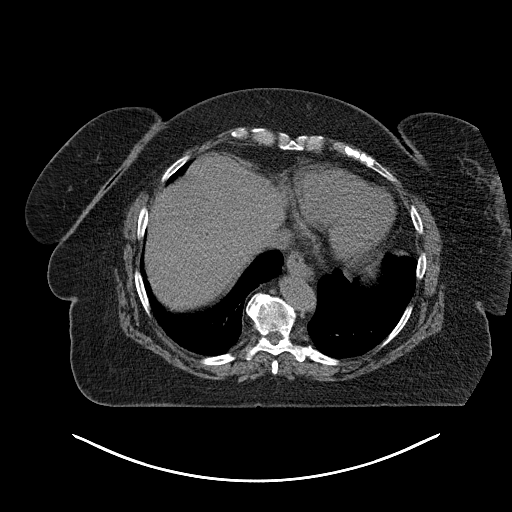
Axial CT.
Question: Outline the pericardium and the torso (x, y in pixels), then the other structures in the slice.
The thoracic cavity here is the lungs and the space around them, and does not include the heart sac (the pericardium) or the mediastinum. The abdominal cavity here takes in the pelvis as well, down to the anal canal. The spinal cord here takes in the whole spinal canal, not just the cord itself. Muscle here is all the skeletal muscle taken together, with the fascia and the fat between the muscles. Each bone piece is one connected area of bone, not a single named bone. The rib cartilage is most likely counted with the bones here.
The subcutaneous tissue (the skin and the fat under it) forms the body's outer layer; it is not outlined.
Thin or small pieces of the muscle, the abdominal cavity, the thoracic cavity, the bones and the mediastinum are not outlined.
Answer: The pericardium is outlined by [[302,159],[309,159],[317,162],[345,163],[359,172],[387,183],[391,187],[401,210],[401,217],[397,232],[391,241],[378,248],[369,257],[361,258],[352,264],[338,268],[319,267],[310,252],[308,243],[293,226],[289,216],[285,195],[288,173],[291,168]]. The torso is outlined by [[254,87],[341,99],[397,136],[402,118],[426,111],[477,127],[505,199],[511,275],[503,315],[486,314],[491,355],[463,405],[113,407],[77,387],[70,302],[47,281],[55,245],[37,241],[25,223],[35,180],[102,112],[145,106],[167,119],[211,96]]. The muscle appears in 3 outlined pieces: piece 1: [[168,165],[151,207],[144,204],[138,211],[136,238],[142,239],[142,248],[133,282],[147,316],[153,316],[178,345],[203,356],[198,361],[202,365],[234,361],[232,349],[246,339],[252,326],[255,332],[241,349],[245,360],[260,351],[274,357],[288,352],[298,362],[308,358],[328,366],[378,345],[383,348],[402,330],[414,308],[410,300],[416,280],[424,277],[427,267],[426,253],[417,255],[416,233],[422,235],[424,226],[413,203],[408,211],[393,184],[398,179],[384,166],[422,199],[439,230],[439,281],[445,284],[441,330],[390,363],[338,381],[290,380],[268,373],[237,382],[200,377],[167,362],[120,327],[114,268],[123,266],[122,228],[128,207]], around a hole outlined by [[275,358],[277,360],[277,361],[278,362],[278,364],[277,365],[277,373],[276,374],[273,374],[271,372],[271,363],[272,362],[272,361],[273,360],[273,359],[274,359]]; piece 2: [[252,125],[263,126],[254,126],[250,128],[247,128],[246,127],[244,126],[239,126],[238,127],[237,128],[232,130],[229,133],[229,135],[233,139],[236,140],[243,140],[245,138],[250,136],[253,141],[237,140],[229,143],[228,142],[227,143],[222,143],[211,149],[208,149],[201,152],[198,155],[191,159],[190,159],[191,155],[189,153],[185,153],[180,156],[187,149],[195,145],[201,144],[204,141],[213,137],[222,131],[233,127],[238,126],[251,126]]; piece 3: [[325,136],[328,136],[329,137],[331,137],[334,139],[337,139],[338,140],[340,140],[341,141],[343,141],[344,142],[346,142],[347,143],[352,144],[356,147],[357,147],[358,148],[360,148],[363,151],[361,151],[356,148],[354,148],[350,145],[349,145],[346,143],[344,143],[341,141],[333,141],[329,145],[329,148],[331,150],[324,149],[324,148],[326,146],[326,144],[327,143],[326,142],[326,138],[325,137]]. The bones appear in 10 outlined pieces: piece 1: [[258,292],[279,297],[290,305],[296,314],[290,322],[294,333],[299,338],[303,337],[305,344],[338,359],[340,363],[328,365],[308,357],[298,361],[288,351],[274,356],[260,350],[251,359],[245,359],[242,349],[256,332],[245,307],[248,300]], around a hole outlined by [[270,332],[278,332],[281,335],[281,338],[278,341],[278,342],[277,343],[276,343],[275,344],[273,344],[272,343],[271,343],[270,342],[270,341],[267,338],[267,335]]; piece 2: [[239,127],[244,127],[247,129],[254,127],[264,127],[275,132],[280,131],[285,132],[292,138],[299,135],[322,135],[324,136],[326,143],[323,149],[320,151],[282,149],[275,145],[259,144],[254,141],[250,135],[243,139],[233,138],[230,135],[230,133]]; piece 3: [[333,142],[341,142],[361,152],[365,152],[368,155],[371,156],[379,162],[394,177],[395,177],[397,179],[398,183],[397,184],[396,183],[390,182],[379,173],[368,167],[358,159],[356,159],[351,156],[348,156],[343,153],[332,150],[330,148],[330,145]]; piece 4: [[136,268],[139,270],[139,272],[142,278],[143,285],[144,286],[144,288],[148,298],[149,306],[150,307],[150,312],[152,315],[152,317],[149,317],[146,313],[140,301],[140,299],[138,296],[138,294],[136,290],[136,287],[134,282],[134,270]]; piece 5: [[409,303],[411,303],[413,305],[413,308],[406,323],[401,329],[401,330],[387,344],[386,344],[383,347],[381,347],[380,348],[379,347],[379,345],[387,337],[387,336],[390,333],[390,332],[397,324]]; piece 6: [[228,352],[230,352],[234,354],[236,357],[234,360],[230,361],[229,362],[227,362],[226,363],[224,363],[223,364],[219,364],[218,365],[206,365],[205,364],[202,364],[199,361],[201,358],[205,357],[206,356],[217,356],[218,355],[221,355]]; piece 7: [[185,154],[189,154],[190,155],[190,158],[183,165],[182,165],[173,174],[172,174],[163,183],[162,183],[161,182],[161,178],[162,177],[162,175],[164,173],[164,172],[166,170],[166,169],[175,160],[176,160],[178,158],[181,157],[183,155],[184,155]]; piece 8: [[144,205],[145,205],[146,206],[146,207],[148,210],[148,219],[147,220],[147,225],[145,228],[145,232],[144,233],[143,238],[142,238],[141,239],[138,239],[137,238],[137,221],[138,220],[138,215],[139,214],[139,211],[140,210],[141,207]]; piece 9: [[411,204],[413,204],[415,206],[421,218],[421,221],[422,222],[422,225],[423,226],[423,232],[422,234],[419,234],[417,233],[414,229],[414,227],[412,223],[412,220],[410,217],[410,214],[409,213],[409,208]]; piece 10: [[421,252],[424,252],[425,253],[425,255],[426,256],[426,267],[425,268],[425,271],[424,272],[424,274],[423,275],[423,277],[420,280],[418,280],[417,279],[416,279],[416,268],[417,267],[417,259],[418,258],[418,256],[421,253]]. The abdominal cavity appears in 2 outlined pieces: piece 1: [[204,153],[238,155],[270,173],[283,188],[287,213],[285,223],[277,231],[275,239],[243,270],[231,289],[219,301],[193,312],[173,313],[168,311],[155,297],[145,269],[144,244],[147,235],[149,210],[164,185],[170,184],[181,176],[192,163],[192,160]]; piece 2: [[401,226],[410,231],[415,232],[415,257],[397,257],[392,254],[386,255],[383,259],[383,267],[378,277],[378,280],[373,286],[364,285],[357,278],[355,280],[350,281],[340,274],[339,268],[352,265],[361,259],[369,258],[378,249],[389,244],[400,230]]. The thoracic cavity appears in 3 outlined pieces: piece 1: [[388,255],[397,258],[417,256],[417,258],[413,293],[386,337],[360,355],[340,359],[324,354],[310,343],[305,343],[307,324],[317,306],[319,279],[338,269],[339,274],[346,280],[354,282],[357,279],[365,287],[374,287],[379,281],[384,259]]; piece 2: [[146,232],[143,254],[147,280],[157,301],[173,314],[189,314],[215,305],[232,289],[258,255],[271,250],[281,253],[283,263],[280,274],[260,283],[247,296],[244,311],[252,325],[241,343],[230,351],[204,356],[186,349],[166,333],[151,312],[140,272]]; piece 3: [[189,160],[191,160],[191,163],[188,166],[188,167],[185,170],[185,171],[181,175],[178,176],[173,181],[172,181],[170,183],[169,183],[168,184],[165,185],[164,184],[164,183],[172,175],[173,175],[182,166],[183,166]]. The mediastinum appears in 2 outlined pieces: piece 1: [[288,211],[292,226],[307,243],[316,265],[322,269],[333,269],[317,281],[315,310],[302,337],[291,327],[291,322],[297,317],[296,311],[281,297],[262,291],[248,297],[260,284],[282,272],[282,253],[278,249],[263,250],[276,239],[278,231],[285,225]]; piece 2: [[237,141],[255,142],[282,150],[316,152],[327,150],[358,160],[393,185],[407,209],[413,230],[401,225],[398,230],[402,210],[392,187],[387,182],[359,171],[345,162],[302,158],[287,173],[284,191],[270,172],[238,154],[229,152],[200,154],[222,144]]. The spinal cord is outlined by [[270,332],[278,332],[281,335],[281,338],[278,341],[278,342],[277,343],[276,343],[275,344],[273,344],[272,343],[271,343],[270,342],[270,341],[267,338],[267,335]].